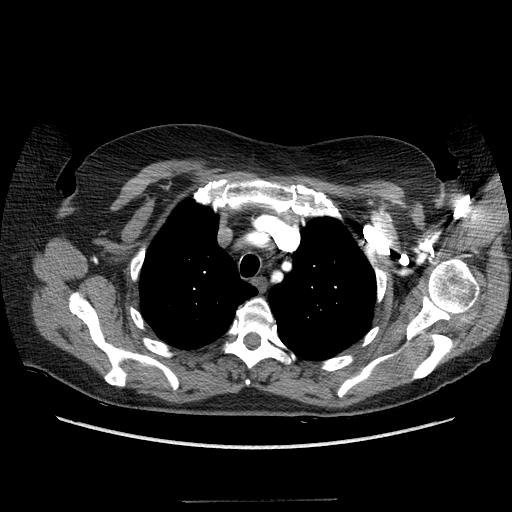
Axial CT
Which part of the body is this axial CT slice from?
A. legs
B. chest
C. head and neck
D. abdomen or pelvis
Answer: B. chest
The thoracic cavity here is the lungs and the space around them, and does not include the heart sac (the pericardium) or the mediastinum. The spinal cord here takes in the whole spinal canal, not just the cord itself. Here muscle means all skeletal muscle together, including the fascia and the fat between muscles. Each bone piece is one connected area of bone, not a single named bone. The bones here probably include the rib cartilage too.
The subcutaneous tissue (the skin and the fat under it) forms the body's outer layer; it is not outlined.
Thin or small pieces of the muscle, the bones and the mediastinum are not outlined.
Outlines (x, y in pixels):
spinal cord: (252, 332) (253, 333) (255, 333) (256, 334) (257, 334) (259, 336) (259, 337) (260, 338) (260, 342) (259, 343) (259, 345) (257, 347) (256, 347) (253, 349) (250, 349) (249, 348) (248, 348) (244, 343) (244, 337) (247, 334) (248, 334) (249, 333) (251, 333)
thoracic cavity 1: (190, 196) (196, 203) (203, 206) (209, 206) (215, 213) (217, 213) (217, 244) (233, 261) (239, 278) (254, 287) (257, 293) (236, 308) (231, 324) (222, 337) (202, 347) (187, 350) (172, 347) (157, 338) (146, 323) (139, 310) (138, 281) (150, 242) (170, 212) (177, 204)
thoracic cavity 2: (318, 217) (337, 219) (343, 222) (350, 230) (374, 272) (375, 306) (372, 326) (360, 340) (341, 353) (320, 361) (313, 361) (298, 357) (282, 341) (278, 334) (276, 320) (268, 303) (268, 296) (270, 290) (279, 284) (292, 269) (293, 254) (300, 243) (300, 231) (306, 221)
mediastinum: (247, 206) (267, 208) (277, 213) (291, 212) (295, 215) (295, 222) (303, 226) (299, 231) (299, 243) (292, 254) (291, 269) (279, 283) (269, 290) (267, 301) (262, 296) (256, 296) (257, 289) (240, 278) (234, 261) (217, 241) (218, 212) (220, 209) (226, 208) (237, 212)
left arm: (466, 116) (469, 116) (475, 124) (497, 172) (502, 176) (506, 191) (506, 208) (511, 218) (509, 223) (511, 283) (509, 300) (501, 325) (439, 308) (425, 281) (426, 262) (434, 243) (439, 213) (439, 181) (454, 179) (460, 174) (458, 161) (447, 148) (447, 138) (454, 126)
bones 1: (453, 257) (467, 264) (480, 293) (467, 311) (438, 320) (425, 330) (457, 340) (443, 361) (411, 382) (413, 370) (432, 349) (431, 339) (420, 333) (398, 354) (379, 363) (366, 380) (339, 397) (337, 390) (347, 378) (406, 342) (406, 327) (421, 309) (432, 270)
bones 2: (254, 176) (284, 184) (303, 184) (322, 192) (337, 206) (343, 220) (318, 216) (307, 218) (303, 225) (296, 222) (296, 215) (291, 211) (277, 212) (258, 205) (247, 205) (237, 211) (226, 207) (215, 212) (209, 205) (196, 202) (193, 192) (210, 181) (223, 178) (234, 181)
bones 3: (254, 297) (262, 297) (267, 302) (275, 320) (279, 338) (297, 357) (296, 360) (290, 364) (285, 365) (272, 357) (268, 357) (260, 360) (250, 369) (248, 369) (245, 363) (236, 355) (231, 353) (223, 353) (221, 349) (222, 339) (232, 324) (237, 308) (247, 300), around a hole outlined by (252, 332) (253, 333) (255, 333) (256, 334) (257, 334) (259, 336) (259, 337) (260, 338) (260, 342) (259, 343) (259, 345) (257, 347) (256, 347) (253, 349) (250, 349) (249, 348) (248, 348) (244, 343) (244, 337) (247, 334) (248, 334) (249, 333) (251, 333)
bones 4: (75, 291) (81, 293) (95, 310) (108, 343) (148, 355) (166, 365) (177, 376) (178, 387) (173, 390) (158, 368) (142, 365) (132, 359) (123, 360) (119, 364) (127, 373) (125, 386) (109, 384) (103, 378) (111, 368) (107, 355) (94, 343) (87, 325) (69, 309) (69, 296)
bones 5: (359, 244) (363, 246) (366, 246) (372, 252) (374, 257) (377, 261) (377, 264) (378, 266) (387, 272) (387, 280) (386, 281) (385, 292) (381, 301) (377, 304) (376, 303) (376, 277) (375, 276) (375, 272) (372, 266) (370, 264) (367, 257) (365, 255) (362, 248) (359, 245)
bones 6: (143, 336) (147, 336) (152, 339) (158, 339) (164, 342) (171, 347) (171, 350) (174, 352) (174, 355) (173, 355) (171, 357) (165, 357) (164, 356) (161, 356) (158, 354) (156, 354) (150, 351) (146, 348) (146, 347) (143, 344) (142, 342) (142, 340) (141, 339)
bones 7: (339, 354) (352, 354) (354, 357) (354, 360) (350, 364) (342, 368) (336, 369) (333, 371) (328, 371) (324, 369) (321, 369) (320, 367) (321, 365) (321, 363) (320, 362) (321, 361) (325, 360) (326, 359) (328, 359) (329, 358) (331, 358) (332, 357) (334, 357)
bones 8: (143, 244) (144, 244) (146, 246) (145, 256) (144, 257) (143, 263) (142, 264) (142, 266) (139, 273) (138, 280) (137, 282) (134, 282) (132, 280) (131, 278) (131, 275) (130, 274) (130, 262) (131, 261) (132, 257) (135, 254) (135, 253) (138, 250) (141, 245)
bones 9: (131, 305) (133, 306) (136, 309) (137, 309) (141, 314) (141, 316) (143, 318) (146, 324) (145, 325) (145, 329) (144, 330) (142, 330) (138, 327) (137, 327) (137, 326) (134, 323) (133, 320) (131, 318) (130, 316) (130, 314) (129, 313) (129, 309) (128, 308) (128, 307)
bones 10: (376, 325) (379, 325) (380, 326) (380, 328) (379, 329) (379, 330) (378, 331) (376, 336) (372, 340) (372, 341) (371, 341) (368, 344) (367, 344) (365, 346) (361, 346) (361, 342) (362, 341) (361, 340) (363, 338) (363, 337) (366, 334) (366, 333) (373, 326) (375, 326)
muscle: (211, 156) (339, 182) (379, 178) (426, 206) (441, 204) (454, 189) (464, 191) (501, 174) (511, 218) (511, 283) (501, 322) (480, 345) (438, 366) (458, 340) (426, 330) (467, 312) (481, 293) (468, 264) (453, 256) (431, 270) (420, 309) (405, 327) (405, 342) (370, 360) (336, 390) (342, 398) (420, 334) (430, 339) (431, 349) (404, 386) (341, 408) (249, 387) (184, 403) (118, 388) (127, 384) (128, 373) (120, 364) (127, 360) (161, 371) (173, 391) (180, 385) (178, 376) (153, 356) (108, 342) (96, 310) (77, 290) (68, 296) (68, 309) (86, 325) (110, 368) (102, 377) (46, 340) (30, 309) (34, 252) (64, 235) (87, 257) (103, 253) (100, 241) (121, 224) (120, 211) (111, 211) (110, 205) (129, 178) (156, 161), around a hole outlined by (254, 176) (324, 193) (387, 272) (373, 312) (380, 328) (341, 353) (354, 357) (342, 368) (268, 357) (248, 369) (223, 353) (222, 337) (172, 347) (165, 357) (146, 348) (142, 337) (157, 337) (130, 316) (129, 306) (139, 309) (131, 259) (177, 204) (210, 181)
right arm: (43, 116) (45, 116) (49, 121) (55, 122) (66, 131) (72, 146) (71, 157) (56, 182) (56, 186) (62, 190) (65, 195) (65, 198) (58, 208) (46, 242) (41, 251) (25, 265) (12, 271) (1, 273) (0, 239) (2, 235) (4, 209) (10, 183) (25, 144) (32, 131)
torso: (167, 123) (208, 124) (287, 145) (373, 134) (417, 146) (439, 178) (426, 287) (439, 309) (501, 326) (489, 360) (419, 400) (316, 419) (201, 416) (104, 405) (26, 366) (8, 320) (1, 274) (25, 266) (42, 251) (59, 208) (74, 190) (74, 172) (88, 154) (126, 133)